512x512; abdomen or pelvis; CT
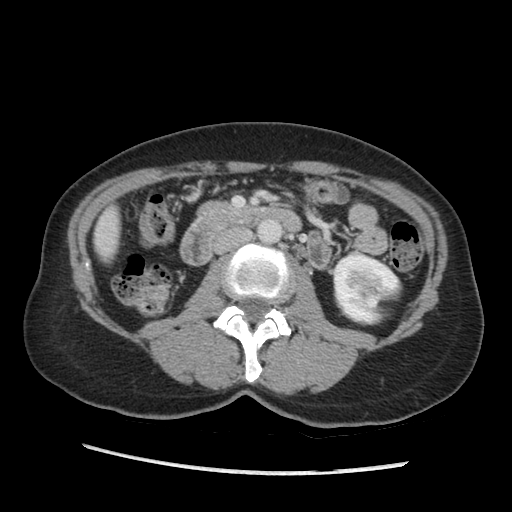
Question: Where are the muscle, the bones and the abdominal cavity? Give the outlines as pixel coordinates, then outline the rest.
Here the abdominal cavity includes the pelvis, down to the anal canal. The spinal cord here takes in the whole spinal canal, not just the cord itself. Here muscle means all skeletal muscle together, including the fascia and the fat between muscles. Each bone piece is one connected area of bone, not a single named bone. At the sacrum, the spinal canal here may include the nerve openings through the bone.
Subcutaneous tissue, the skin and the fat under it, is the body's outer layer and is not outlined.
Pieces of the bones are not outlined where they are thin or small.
Answer: Outlines:
muscle: 193,160 238,160 262,163 283,163 295,160 315,160 337,164 340,166 354,169 364,174 399,182 428,201 435,208 439,213 447,235 448,260 442,280 438,287 439,301 435,308 425,313 422,318 423,326 413,335 366,355 358,360 349,372 338,382 328,389 318,393 303,396 278,396 262,386 260,387 249,383 238,384 217,392 211,389 203,389 193,385 185,385 176,381 165,373 157,364 154,363 144,350 128,339 109,330 95,321 81,308 78,299 78,293 72,286 71,268 69,264 68,248 66,243 66,231 70,216 79,201 88,192 104,180 140,168 167,166; inner edge: 266,168 358,186 419,224 427,271 392,331 330,321 306,269 289,262 293,284 277,308 291,333 261,345 248,382 240,341 212,324 232,303 222,284 232,252 176,315 130,331 104,311 84,265 104,206 171,178
bones: 248,243 258,243 282,251 293,272 291,291 277,306 285,314 291,333 288,336 270,338 261,345 257,358 262,370 252,382 248,382 244,377 245,355 240,341 212,324 223,309 232,303 222,284 224,267 232,254 with a hole at 246,296 248,297 256,296 257,297 261,297 270,300 272,306 271,308 264,314 263,316 263,320 261,320 256,323 250,323 244,319 243,317 245,313 244,311 237,305 237,301 241,297 245,297
abdominal cavity: 266,168 324,175 358,186 419,224 425,237 427,271 392,331 378,336 336,325 326,317 306,269 288,262 282,250 258,242 245,243 214,259 176,315 148,320 130,331 104,311 87,248 92,223 104,206 171,178
torso: 229,121 292,122 351,135 411,165 450,202 466,233 484,313 477,361 453,395 383,425 314,427 281,416 247,395 191,416 147,419 86,404 34,369 23,344 22,317 38,273 45,226 62,193 84,173 135,144
spinal cord: 246,296 248,297 256,296 257,297 261,297 270,300 272,306 271,308 264,314 263,316 263,320 261,320 256,323 250,323 244,319 243,317 245,313 244,311 237,305 237,301 241,297 245,297